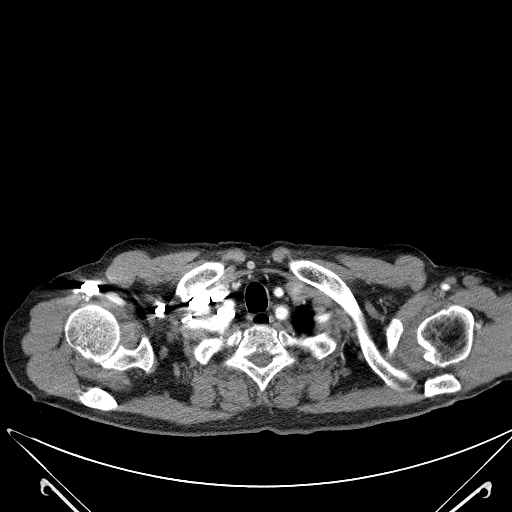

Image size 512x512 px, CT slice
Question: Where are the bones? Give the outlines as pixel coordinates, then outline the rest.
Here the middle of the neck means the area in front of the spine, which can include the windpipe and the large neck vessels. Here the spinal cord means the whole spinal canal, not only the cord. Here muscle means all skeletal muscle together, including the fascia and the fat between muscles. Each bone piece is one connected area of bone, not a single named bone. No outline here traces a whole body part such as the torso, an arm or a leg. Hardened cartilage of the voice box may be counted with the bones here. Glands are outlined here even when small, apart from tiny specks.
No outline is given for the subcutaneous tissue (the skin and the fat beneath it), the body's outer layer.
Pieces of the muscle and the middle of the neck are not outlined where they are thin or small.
Answer: {"bones":[{"outer":[[253,324],[285,329],[295,336],[328,331],[337,345],[319,360],[302,352],[298,363],[278,371],[260,392],[257,384],[245,372],[220,365],[228,353],[226,349],[215,354],[206,364],[196,360],[192,353],[193,346],[203,338],[226,337],[235,330],[243,330]],"hole":[[256,352],[258,353],[262,353],[263,352],[266,352],[268,354],[271,355],[271,359],[270,361],[266,365],[264,366],[262,366],[261,367],[256,365],[254,363],[253,363],[248,358],[249,356],[250,356],[252,354]]},[[289,258],[313,260],[339,276],[353,294],[367,330],[383,354],[386,352],[384,327],[393,317],[401,320],[403,330],[397,348],[387,359],[410,374],[415,381],[412,389],[398,391],[387,385],[372,370],[360,349],[351,317],[331,297],[298,278],[287,265]],[[87,304],[101,306],[114,315],[120,327],[119,343],[126,349],[134,349],[138,345],[143,334],[149,338],[154,356],[153,363],[148,372],[139,367],[131,367],[125,370],[104,368],[91,360],[86,359],[69,345],[66,340],[64,331],[66,319],[72,311]],[[454,304],[464,306],[468,308],[473,313],[475,319],[473,340],[472,341],[472,345],[470,352],[465,359],[450,364],[446,367],[442,368],[434,365],[423,358],[423,354],[425,350],[417,341],[416,329],[420,322],[425,317],[434,313],[441,308],[446,308]],[[207,260],[221,260],[223,261],[225,264],[225,268],[224,269],[225,274],[223,277],[207,286],[204,289],[196,291],[193,293],[190,293],[189,295],[185,295],[179,299],[174,293],[175,292],[176,286],[182,276],[186,272],[195,266],[197,266]],[[445,372],[452,373],[459,381],[461,388],[457,392],[455,392],[454,393],[443,393],[442,394],[438,394],[431,397],[425,397],[423,394],[423,389],[424,388],[424,382],[425,380],[428,377],[431,377],[432,376],[434,376],[438,374],[441,374]],[[97,386],[106,390],[114,397],[117,402],[117,407],[116,409],[114,410],[110,410],[109,411],[103,411],[99,409],[96,409],[95,408],[87,406],[81,403],[79,401],[78,399],[78,394],[79,393],[78,392],[80,391],[85,391],[89,387],[96,387]]],"thyroid_glands":[[[239,279],[241,279],[242,280],[242,283],[239,286],[239,287],[238,288],[238,289],[237,290],[234,290],[233,289],[233,288],[232,287],[232,284],[233,283],[234,283],[237,280],[238,280]],[[265,274],[266,274],[267,274],[268,275],[269,276],[269,277],[269,278],[268,279],[267,279],[266,279],[265,279],[264,278],[264,277],[264,276],[264,275]]],"middle_of_the_neck":[[[259,276],[263,276],[265,280],[279,277],[297,284],[314,312],[312,334],[295,335],[285,328],[278,329],[266,323],[246,326],[232,322],[224,327],[222,325],[218,308],[210,301],[210,293],[214,286],[234,282],[231,287],[237,291],[243,283],[242,279]]],"muscle":[{"outer":[[277,246],[387,261],[409,253],[424,262],[430,283],[470,275],[498,295],[511,292],[511,371],[461,393],[455,393],[462,386],[452,372],[428,376],[422,389],[425,398],[403,405],[321,414],[256,407],[226,420],[188,425],[115,411],[115,397],[97,385],[78,391],[78,402],[48,394],[27,377],[28,356],[20,339],[29,329],[30,309],[103,272],[117,254],[139,248],[154,257],[183,249],[239,247],[266,255]],"holes":[[[265,274],[297,284],[314,312],[312,334],[328,331],[337,345],[319,360],[302,352],[298,363],[278,371],[260,392],[245,372],[220,365],[226,349],[202,364],[192,348],[203,338],[226,337],[246,326],[236,322],[222,325],[218,308],[210,301],[214,286]],[[289,258],[313,260],[339,276],[353,294],[367,330],[383,354],[386,352],[384,327],[393,317],[401,320],[403,330],[397,348],[387,359],[410,374],[415,381],[412,389],[398,391],[387,385],[372,370],[360,349],[351,317],[331,297],[298,278],[287,265]],[[87,304],[101,306],[114,315],[120,327],[119,343],[126,349],[134,349],[138,345],[143,334],[149,338],[154,356],[153,363],[148,372],[139,367],[131,367],[125,370],[104,368],[91,360],[86,359],[69,345],[66,340],[64,331],[66,319],[72,311]],[[454,304],[464,306],[468,308],[473,313],[475,319],[473,340],[472,341],[472,345],[470,352],[465,359],[450,364],[446,367],[442,368],[434,365],[423,358],[423,354],[425,350],[417,341],[416,329],[420,322],[425,317],[434,313],[441,308],[446,308]],[[207,260],[221,260],[223,261],[225,264],[225,268],[224,269],[225,274],[223,277],[207,286],[204,289],[196,291],[193,293],[190,293],[189,295],[185,295],[179,299],[174,293],[175,292],[176,286],[182,276],[186,272],[195,266],[197,266]]]}],"spinal_cord":[[[256,352],[258,353],[262,353],[263,352],[266,352],[268,354],[271,355],[271,359],[270,361],[266,365],[264,366],[262,366],[261,367],[256,365],[254,363],[253,363],[248,358],[249,356],[250,356],[252,354]]]}